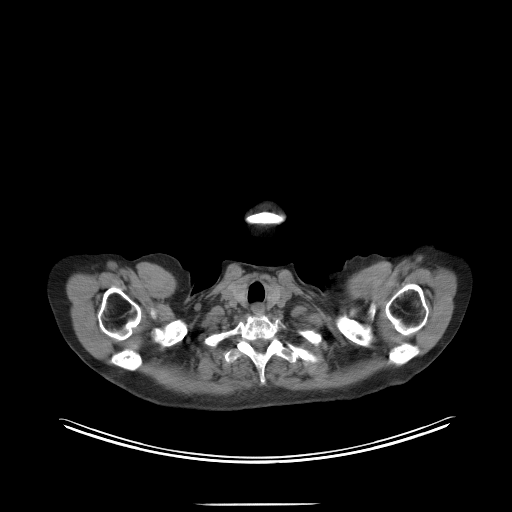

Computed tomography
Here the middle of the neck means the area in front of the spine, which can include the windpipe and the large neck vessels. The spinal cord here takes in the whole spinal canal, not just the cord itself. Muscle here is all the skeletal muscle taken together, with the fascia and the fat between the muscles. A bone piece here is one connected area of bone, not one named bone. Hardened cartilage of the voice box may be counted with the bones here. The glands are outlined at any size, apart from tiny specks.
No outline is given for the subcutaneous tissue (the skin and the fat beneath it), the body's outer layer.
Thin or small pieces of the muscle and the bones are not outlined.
The spinal cord is outlined by (257, 339) (263, 339) (264, 340) (266, 340) (267, 341) (268, 341) (268, 343) (267, 344) (267, 345) (266, 346) (266, 347) (265, 348) (265, 349) (263, 351) (257, 351) (252, 346) (252, 345) (251, 344) (251, 341) (253, 341) (254, 340) (256, 340). The bones appear in 9 outlined pieces: piece 1: (247, 315) (266, 315) (271, 321) (278, 318) (286, 327) (281, 331) (283, 337) (312, 352) (318, 361) (297, 358) (291, 363) (273, 355) (264, 368) (264, 384) (247, 355) (242, 354) (227, 363) (223, 351) (231, 345) (232, 339) (216, 346) (206, 345) (204, 339) (233, 328); inner edge: (257, 339) (263, 339) (264, 340) (266, 340) (267, 341) (268, 341) (268, 343) (267, 344) (267, 345) (266, 346) (266, 347) (265, 348) (265, 349) (263, 351) (257, 351) (252, 346) (252, 345) (251, 344) (251, 341) (253, 341) (254, 340) (256, 340); piece 2: (111, 286) (116, 286) (120, 288) (132, 300) (137, 303) (141, 309) (141, 318) (140, 321) (137, 326) (133, 329) (132, 334) (126, 339) (120, 341) (116, 340) (114, 338) (104, 333) (100, 329) (98, 323) (98, 319) (97, 318) (97, 313) (100, 307) (103, 293); piece 3: (408, 283) (415, 283) (419, 285) (422, 288) (424, 293) (425, 300) (429, 310) (429, 312) (428, 313) (427, 320) (425, 324) (420, 329) (407, 336) (403, 336) (395, 330) (392, 324) (387, 318) (385, 314) (385, 305) (386, 304) (386, 302) (389, 299) (389, 298) (398, 289); piece 4: (338, 315) (346, 315) (349, 318) (353, 319) (354, 320) (356, 320) (364, 325) (370, 325) (372, 328) (372, 330) (374, 334) (374, 338) (375, 339) (372, 343) (371, 347) (366, 347) (365, 346) (362, 346) (348, 339) (339, 330) (339, 329) (337, 327) (335, 323) (335, 319); piece 5: (179, 318) (185, 321) (187, 324) (187, 333) (180, 341) (170, 346) (161, 346) (158, 343) (156, 343) (152, 340) (151, 338) (151, 336) (150, 335) (150, 333) (151, 332) (151, 330) (154, 327) (162, 327) (166, 324) (167, 324) (169, 322) (171, 322); piece 6: (124, 348) (130, 348) (131, 349) (133, 349) (137, 352) (138, 352) (141, 356) (141, 359) (142, 360) (141, 365) (135, 371) (130, 371) (129, 370) (124, 369) (119, 366) (117, 366) (116, 365) (111, 363) (111, 362) (110, 361) (111, 356) (114, 353) (115, 353); piece 7: (403, 341) (405, 341) (406, 342) (409, 342) (412, 344) (414, 344) (416, 345) (419, 348) (419, 353) (417, 355) (413, 357) (409, 361) (408, 361) (406, 363) (402, 365) (400, 365) (398, 366) (392, 363) (390, 363) (389, 362) (389, 351) (391, 349) (391, 348) (399, 344); piece 8: (260, 211) (271, 211) (277, 214) (279, 214) (280, 215) (283, 215) (285, 218) (285, 220) (282, 223) (280, 224) (250, 224) (249, 223) (247, 223) (245, 221) (245, 218) (246, 216) (248, 215) (250, 215) (251, 214) (253, 214) (254, 213) (256, 213) (257, 212) (259, 212); piece 9: (309, 329) (313, 329) (314, 330) (315, 330) (317, 332) (319, 332) (321, 334) (321, 335) (322, 336) (322, 339) (318, 344) (315, 345) (314, 344) (311, 343) (309, 341) (308, 341) (305, 338) (304, 338) (302, 336) (299, 335) (297, 333) (297, 331) (298, 330) (308, 330). The torso appears in 2 outlined pieces: piece 1: (226, 259) (260, 265) (290, 262) (302, 280) (320, 288) (328, 280) (330, 271) (339, 270) (337, 291) (362, 314) (378, 354) (411, 379) (404, 384) (354, 400) (236, 411) (160, 406) (116, 386) (134, 365) (140, 351) (161, 322) (192, 291) (213, 284) (219, 274) (220, 263); piece 2: (262, 199) (274, 200) (281, 205) (287, 213) (287, 218) (280, 226) (283, 231) (283, 235) (281, 237) (276, 238) (271, 247) (258, 247) (253, 245) (250, 243) (249, 241) (250, 238) (248, 235) (244, 233) (243, 231) (245, 225) (243, 219) (244, 211) (250, 205). The muscle is outlined by (417, 252) (450, 268) (458, 278) (452, 317) (443, 335) (419, 356) (420, 348) (403, 340) (388, 351) (388, 362) (399, 367) (328, 391) (260, 386) (226, 396) (177, 394) (136, 371) (143, 360) (133, 348) (114, 352) (109, 359) (114, 365) (89, 353) (73, 330) (65, 292) (68, 276) (82, 267) (109, 260) (133, 265) (148, 261) (174, 275) (174, 299) (189, 307) (236, 263) (248, 271) (287, 269) (304, 290) (336, 301) (351, 274) (377, 261) (393, 264) with holes at (252, 278) (275, 284) (287, 294) (285, 306) (266, 315) (285, 325) (284, 338) (319, 358) (291, 363) (273, 355) (264, 368) (264, 384) (247, 355) (225, 361) (223, 351) (231, 338) (216, 346) (204, 343) (210, 334) (246, 319) (247, 314) (230, 307) (223, 296) (231, 284) and at (111, 286) (116, 286) (120, 288) (132, 300) (137, 303) (141, 309) (141, 318) (140, 321) (137, 326) (133, 329) (132, 334) (126, 339) (120, 341) (116, 340) (114, 338) (104, 333) (100, 329) (98, 323) (98, 319) (97, 318) (97, 313) (100, 307) (103, 293) and at (408, 283) (415, 283) (419, 285) (422, 288) (424, 293) (425, 300) (429, 310) (429, 312) (428, 313) (427, 320) (425, 324) (420, 329) (407, 336) (403, 336) (395, 330) (392, 324) (387, 318) (385, 314) (385, 305) (386, 304) (386, 302) (389, 299) (389, 298) (398, 289) and at (338, 315) (346, 315) (349, 318) (353, 319) (354, 320) (356, 320) (364, 325) (370, 325) (372, 328) (372, 330) (374, 334) (374, 338) (375, 339) (372, 343) (371, 347) (366, 347) (365, 346) (362, 346) (348, 339) (339, 330) (339, 329) (337, 327) (335, 323) (335, 319) and at (179, 318) (185, 321) (187, 324) (187, 333) (180, 341) (170, 346) (161, 346) (158, 343) (156, 343) (152, 340) (151, 338) (151, 336) (150, 335) (150, 333) (151, 332) (151, 330) (154, 327) (162, 327) (166, 324) (167, 324) (169, 322) (171, 322) and at (309, 329) (313, 329) (314, 330) (315, 330) (317, 332) (319, 332) (321, 334) (321, 335) (322, 336) (322, 339) (318, 344) (315, 345) (314, 344) (311, 343) (309, 341) (308, 341) (305, 338) (304, 338) (302, 336) (299, 335) (297, 333) (297, 331) (298, 330) (308, 330) and at (371, 302) (374, 302) (376, 305) (376, 311) (375, 312) (375, 314) (374, 315) (374, 318) (372, 321) (371, 321) (370, 320) (370, 319) (369, 318) (369, 316) (368, 315) (368, 308) (369, 307) (369, 306) (370, 305) (370, 304) (371, 303) and at (151, 308) (154, 308) (156, 310) (156, 312) (157, 313) (157, 317) (155, 319) (153, 319) (151, 317) (151, 316) (150, 315) (150, 309). The thyroid glands appear in 2 outlined pieces: piece 1: (240, 281) (244, 281) (245, 282) (246, 282) (246, 292) (245, 293) (245, 304) (244, 305) (241, 305) (235, 299) (235, 298) (234, 297) (234, 296) (232, 294) (232, 293) (229, 290) (229, 286) (231, 284) (232, 284) (233, 283) (236, 283) (237, 282) (239, 282); piece 2: (268, 284) (275, 284) (276, 285) (279, 286) (282, 290) (282, 293) (281, 294) (278, 301) (274, 305) (273, 305) (270, 308) (270, 309) (269, 310) (268, 310) (267, 309) (267, 307) (266, 306) (266, 304) (267, 303) (267, 299) (266, 298) (267, 297) (267, 286) (268, 285). The right arm is outlined by (103, 252) (118, 253) (130, 260) (154, 252) (166, 253) (177, 258) (182, 266) (189, 270) (194, 282) (190, 294) (160, 322) (160, 324) (139, 351) (133, 365) (115, 385) (86, 365) (66, 343) (57, 327) (46, 295) (46, 278) (48, 272) (54, 262) (60, 257) (72, 253). The middle of the neck is outlined by (252, 278) (263, 279) (268, 283) (265, 298) (265, 306) (268, 311) (279, 301) (283, 292) (287, 294) (289, 299) (285, 306) (279, 311) (268, 314) (247, 314) (236, 311) (230, 307) (224, 301) (224, 293) (228, 290) (234, 299) (241, 306) (244, 306) (246, 304) (247, 281). The left arm is outlined by (425, 242) (432, 243) (440, 248) (448, 249) (462, 255) (467, 260) (472, 270) (473, 289) (464, 318) (451, 341) (425, 369) (413, 378) (410, 378) (404, 371) (379, 354) (363, 314) (338, 291) (339, 274) (344, 261) (350, 256) (356, 254) (365, 256) (371, 253) (392, 256).